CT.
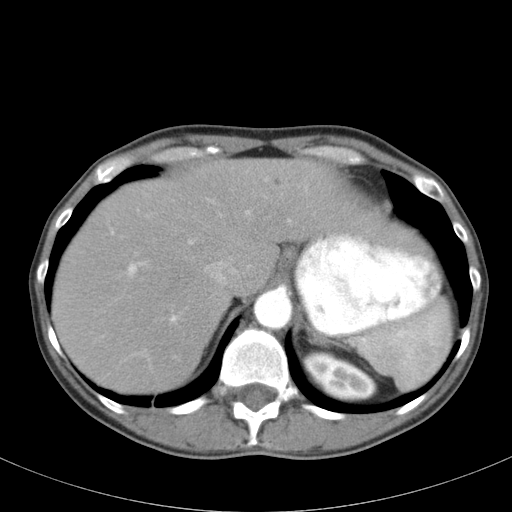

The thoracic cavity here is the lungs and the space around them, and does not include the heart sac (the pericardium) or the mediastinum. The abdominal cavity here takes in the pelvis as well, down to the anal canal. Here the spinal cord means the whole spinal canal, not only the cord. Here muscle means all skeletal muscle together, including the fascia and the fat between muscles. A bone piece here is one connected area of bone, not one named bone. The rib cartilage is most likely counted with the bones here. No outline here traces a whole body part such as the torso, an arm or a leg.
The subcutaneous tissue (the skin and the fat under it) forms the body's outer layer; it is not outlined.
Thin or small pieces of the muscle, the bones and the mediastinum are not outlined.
The muscle appears in 4 outlined pieces: piece 1: (35, 273) (37, 281) (43, 285) (50, 321) (46, 333) (51, 345) (62, 358) (67, 358) (104, 406) (121, 415) (127, 413) (123, 405) (166, 408) (169, 414) (184, 415) (205, 405) (209, 399) (203, 394) (211, 388) (222, 396) (231, 392) (232, 416) (246, 423) (248, 447) (258, 444) (262, 423) (275, 419) (282, 403) (298, 398) (300, 392) (310, 402) (303, 402) (301, 407) (326, 420) (338, 421) (345, 419) (347, 414) (395, 408) (394, 414) (398, 416) (411, 411) (466, 349) (471, 335) (467, 324) (473, 292) (481, 286) (481, 275) (483, 295) (474, 342) (461, 371) (446, 391) (417, 416) (380, 435) (341, 449) (292, 452) (256, 447) (200, 452) (175, 448) (135, 433) (87, 401) (70, 384) (56, 366) (43, 337) (34, 287); piece 2: (186, 133) (239, 136) (261, 140) (313, 134) (349, 136) (363, 140) (431, 176) (414, 173) (409, 180) (390, 170) (364, 164) (367, 159) (359, 151) (353, 148) (330, 144) (307, 147) (301, 153) (288, 152) (272, 144) (264, 144) (233, 153) (220, 153) (223, 150) (213, 144) (208, 144) (202, 148) (190, 145) (175, 145) (152, 152) (148, 156) (151, 161) (149, 162) (135, 164) (139, 159) (135, 154) (120, 155) (104, 161) (152, 140) (162, 137) (180, 136); piece 3: (94, 170) (93, 178) (92, 179) (94, 185) (83, 196) (74, 207) (72, 206) (68, 206) (66, 207) (56, 218) (54, 223) (54, 228) (57, 232) (55, 235) (49, 256) (48, 258) (45, 258) (39, 262) (41, 252) (43, 248) (43, 245) (50, 224) (54, 216) (83, 181); piece 4: (440, 184) (450, 197) (472, 236) (478, 261) (480, 265) (480, 273) (475, 266) (472, 264) (469, 265) (468, 263) (467, 254) (464, 245) (468, 243) (468, 235) (466, 230) (458, 221) (456, 220) (451, 221) (448, 216) (448, 214) (441, 203) (445, 200) (445, 194). The pericardium is outlined by (350, 171) (352, 171) (357, 174) (363, 175) (365, 177) (366, 177) (369, 180) (378, 195) (382, 199) (386, 199) (384, 200) (379, 205) (378, 205) (376, 207) (374, 207) (370, 203) (368, 199) (361, 191) (361, 190) (351, 179) (348, 174) (348, 173). The abdominal cavity is outlined by (264, 145) (349, 165) (374, 208) (389, 200) (429, 240) (462, 328) (437, 373) (383, 403) (327, 397) (292, 347) (286, 284) (241, 311) (207, 367) (181, 388) (153, 399) (121, 395) (77, 371) (49, 311) (60, 256) (94, 206) (121, 184) (154, 176) (159, 168) (144, 163). The thoracic cavity appears in 4 outlined pieces: piece 1: (382, 169) (390, 171) (405, 178) (421, 193) (440, 203) (451, 222) (454, 233) (462, 242) (466, 254) (466, 259) (468, 264) (468, 275) (472, 288) (469, 316) (467, 323) (463, 327) (460, 323) (460, 307) (438, 252) (421, 229) (400, 217) (394, 212) (388, 187) (381, 173); piece 2: (138, 164) (153, 165) (157, 167) (158, 170) (154, 175) (131, 179) (121, 183) (104, 195) (89, 211) (71, 236) (59, 256) (52, 278) (50, 303) (48, 311) (44, 293) (44, 283) (48, 272) (49, 257) (58, 231) (71, 217) (74, 208) (94, 186) (107, 183) (125, 169); piece 3: (235, 319) (238, 319) (238, 324) (222, 353) (220, 369) (216, 382) (207, 391) (188, 401) (167, 407) (142, 407) (122, 404) (93, 389) (78, 373) (96, 386) (109, 390) (118, 395) (149, 396) (153, 400) (159, 395) (181, 389) (199, 377) (210, 364) (222, 337) (230, 324); piece 4: (287, 333) (289, 333) (291, 347) (301, 373) (307, 383) (327, 398) (356, 406) (383, 404) (419, 390) (438, 373) (448, 358) (454, 344) (459, 340) (459, 345) (444, 372) (435, 383) (423, 393) (398, 407) (367, 413) (346, 413) (316, 405) (299, 390) (289, 370) (285, 350). The bones appear in 12 outlined pieces: piece 1: (250, 326) (269, 332) (279, 341) (285, 351) (289, 374) (299, 396) (283, 401) (278, 415) (264, 420) (259, 426) (257, 444) (248, 446) (248, 425) (243, 419) (233, 416) (234, 394) (229, 391) (222, 395) (216, 389) (212, 390) (212, 387) (218, 380) (225, 348) (234, 336); inner edge: (253, 383) (259, 383) (260, 384) (263, 384) (264, 385) (269, 386) (275, 390) (275, 395) (273, 399) (257, 410) (253, 410) (248, 407) (243, 402) (237, 398) (236, 394) (235, 393) (235, 389) (236, 388) (240, 387) (241, 386) (244, 386) (248, 384) (252, 384); piece 2: (208, 145) (213, 145) (220, 148) (222, 151) (219, 153) (215, 153) (214, 154) (208, 153) (199, 157) (191, 157) (187, 159) (182, 159) (170, 162) (152, 161) (149, 158) (149, 156) (152, 153) (170, 147) (174, 147) (175, 146) (190, 146) (202, 149); piece 3: (321, 145) (340, 146) (341, 147) (345, 147) (346, 148) (353, 149) (359, 152) (366, 159) (366, 161) (363, 164) (346, 164) (328, 157) (318, 156) (317, 155) (313, 155) (308, 153) (303, 153) (302, 152) (307, 148) (312, 148) (313, 147) (320, 146); piece 4: (125, 155) (135, 155) (137, 156) (138, 159) (134, 164) (122, 170) (109, 181) (107, 182) (104, 182) (103, 183) (99, 183) (95, 185) (94, 184) (93, 179) (94, 178) (95, 169) (98, 165) (99, 165) (101, 163) (103, 163) (109, 160) (111, 160) (116, 157) (124, 156); piece 5: (414, 174) (419, 174) (420, 175) (423, 175) (427, 177) (432, 177) (439, 184) (439, 185) (441, 187) (443, 191) (443, 193) (444, 194) (444, 200) (442, 202) (439, 202) (437, 200) (421, 192) (410, 181) (412, 176); piece 6: (202, 395) (205, 395) (208, 399) (208, 401) (200, 408) (193, 412) (191, 412) (190, 413) (185, 413) (184, 414) (172, 414) (171, 413) (169, 413) (167, 411) (167, 408) (168, 407) (176, 406) (177, 405) (179, 405) (180, 404) (188, 402); piece 7: (303, 403) (311, 403) (316, 406) (318, 406) (321, 408) (323, 408) (330, 411) (334, 411) (335, 412) (339, 412) (340, 413) (345, 413) (346, 414) (346, 417) (343, 419) (339, 419) (338, 420) (322, 418) (321, 417) (317, 416) (310, 411) (303, 408) (301, 405); piece 8: (96, 392) (101, 394) (103, 396) (104, 396) (117, 403) (119, 403) (120, 404) (121, 404) (123, 406) (126, 413) (125, 413) (124, 414) (121, 414) (120, 413) (117, 413) (116, 412) (113, 411) (111, 409) (108, 408) (105, 405) (104, 405) (98, 399) (98, 398) (96, 396); piece 9: (466, 325) (467, 325) (469, 327) (469, 328) (470, 329) (470, 335) (469, 336) (469, 341) (468, 342) (465, 349) (463, 351) (463, 352) (461, 354) (461, 355) (456, 360) (453, 360) (453, 359) (459, 348) (459, 346) (460, 345) (460, 335) (461, 334) (462, 329); piece 10: (425, 392) (427, 393) (427, 395) (426, 397) (418, 405) (417, 405) (414, 408) (413, 408) (411, 410) (403, 414) (399, 414) (398, 415) (397, 414) (395, 414) (395, 412) (397, 408) (413, 400) (415, 398) (418, 397) (420, 395) (423, 394); piece 11: (49, 323) (50, 323) (51, 324) (51, 325) (55, 332) (55, 335) (57, 338) (57, 340) (59, 343) (59, 345) (61, 348) (61, 350) (64, 354) (64, 358) (63, 357) (62, 357) (57, 352) (57, 351) (52, 345) (52, 344) (48, 337) (48, 334) (47, 333) (47, 326); piece 12: (68, 207) (72, 207) (73, 208) (73, 210) (72, 211) (72, 212) (71, 213) (71, 215) (70, 216) (70, 217) (67, 220) (67, 221) (58, 230) (57, 230) (55, 228) (55, 223) (56, 222) (56, 220) (57, 219) (57, 218) (60, 215) (60, 214) (66, 208) (67, 208). The spinal cord is outlined by (253, 383) (259, 383) (260, 384) (263, 384) (264, 385) (269, 386) (275, 390) (275, 395) (273, 399) (257, 410) (253, 410) (248, 407) (243, 402) (237, 398) (236, 394) (235, 393) (235, 389) (236, 388) (240, 387) (241, 386) (244, 386) (248, 384) (252, 384). The mediastinum appears in 2 outlined pieces: piece 1: (278, 285) (286, 285) (289, 288) (295, 315) (295, 318) (289, 329) (289, 332) (287, 332) (285, 335) (284, 348) (280, 341) (272, 333) (259, 327) (255, 327) (250, 325) (247, 326) (233, 336) (233, 334) (239, 324) (239, 319) (237, 318) (238, 315) (257, 301) (269, 289); piece 2: (350, 165) (367, 165) (368, 166) (372, 166) (381, 169) (380, 170) (380, 173) (385, 181) (387, 187) (387, 190) (388, 191) (388, 194) (391, 201) (390, 202) (390, 200) (387, 198) (382, 198) (376, 191) (374, 186) (370, 180) (363, 174) (357, 173) (353, 171).